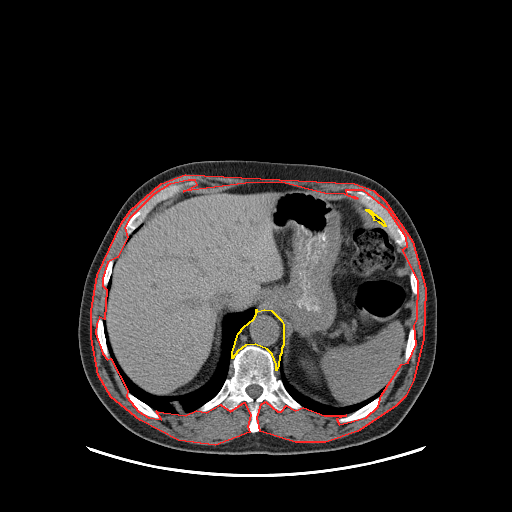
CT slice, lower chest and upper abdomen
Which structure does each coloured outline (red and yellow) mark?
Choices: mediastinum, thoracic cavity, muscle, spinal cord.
red: muscle; yellow: mediastinum.
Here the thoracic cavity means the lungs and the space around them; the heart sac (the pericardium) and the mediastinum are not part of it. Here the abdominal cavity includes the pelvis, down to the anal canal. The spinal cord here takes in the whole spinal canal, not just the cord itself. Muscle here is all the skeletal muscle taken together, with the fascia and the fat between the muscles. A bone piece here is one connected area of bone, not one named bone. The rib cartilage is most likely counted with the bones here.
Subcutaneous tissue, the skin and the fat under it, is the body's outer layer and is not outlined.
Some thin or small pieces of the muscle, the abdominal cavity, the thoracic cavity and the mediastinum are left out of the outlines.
{"muscle":[[[185,174],[354,183],[373,190],[385,201],[412,241],[425,288],[423,338],[413,380],[405,396],[395,406],[357,431],[325,442],[295,442],[260,431],[257,417],[261,404],[265,401],[277,411],[281,411],[286,405],[295,410],[303,407],[324,415],[346,415],[336,419],[339,424],[366,417],[378,406],[381,395],[401,364],[408,362],[416,344],[414,325],[417,319],[418,280],[402,249],[407,246],[406,237],[388,210],[363,190],[345,190],[346,194],[354,196],[357,198],[355,199],[344,194],[324,193],[281,182],[245,183],[183,191],[197,184],[195,180],[188,180],[169,184],[153,194],[129,218],[124,227],[127,237],[117,257],[107,262],[102,278],[102,285],[106,289],[104,319],[99,317],[96,323],[95,333],[102,353],[107,359],[110,358],[127,390],[126,396],[138,411],[148,417],[161,419],[156,411],[185,415],[196,410],[206,412],[220,404],[230,411],[244,402],[250,415],[247,426],[249,432],[215,445],[178,440],[140,420],[111,397],[98,375],[91,337],[91,310],[97,275],[121,223],[130,210],[161,183]]],"mediastinum":[[[256,309],[257,311],[264,309],[271,310],[281,320],[283,324],[283,345],[281,348],[281,353],[279,356],[278,365],[276,370],[276,364],[272,354],[267,349],[255,344],[245,345],[237,351],[232,358],[232,352],[238,333],[244,326],[253,319],[256,314]],[[366,209],[368,209],[369,210],[370,210],[374,214],[375,214],[378,217],[379,217],[383,221],[385,226],[384,226],[381,223],[380,223],[379,222],[374,220],[374,218],[373,217],[373,216],[368,211],[367,211],[366,210]]],"torso":[[[204,160],[258,160],[341,168],[379,182],[404,207],[421,238],[433,275],[437,340],[427,382],[392,431],[360,445],[325,452],[197,453],[165,447],[136,435],[118,422],[99,400],[85,375],[78,345],[82,291],[93,257],[117,212],[142,183],[170,167]]],"spinal_cord":[[[253,384],[255,384],[256,385],[258,385],[259,386],[260,386],[262,388],[262,391],[261,392],[261,393],[257,397],[256,397],[255,398],[254,398],[253,397],[250,396],[247,393],[247,392],[246,391],[246,388],[248,386],[249,386],[250,385],[252,385]]],"thoracic_cavity":[[[250,308],[255,309],[255,314],[237,333],[231,352],[231,375],[224,380],[214,396],[188,413],[172,414],[155,410],[135,396],[125,387],[110,357],[104,323],[111,350],[119,367],[136,386],[154,396],[188,394],[201,388],[214,375],[222,348],[224,317]],[[279,361],[281,361],[282,371],[285,378],[289,384],[298,392],[316,402],[319,402],[321,404],[331,406],[334,408],[343,408],[357,404],[373,396],[383,388],[385,389],[380,395],[350,413],[342,415],[319,413],[304,407],[287,391],[282,380],[276,374]]],"abdominal_cavity":[[[257,183],[357,200],[408,259],[416,319],[408,330],[403,361],[387,386],[373,395],[334,407],[298,391],[280,360],[284,324],[268,308],[250,307],[223,317],[213,375],[188,393],[154,395],[120,367],[104,320],[113,267],[127,238],[157,204],[182,192]]],"bones":[{"outer":[[247,345],[258,346],[271,354],[276,376],[302,406],[295,409],[284,404],[281,410],[277,410],[269,402],[263,401],[256,417],[260,427],[257,432],[248,430],[251,415],[244,401],[230,410],[222,403],[206,411],[198,410],[217,394],[232,375],[232,359]],"hole":[[253,384],[255,384],[256,385],[258,385],[259,386],[260,386],[262,388],[262,391],[261,392],[261,393],[257,397],[256,397],[255,398],[254,398],[253,397],[250,396],[247,393],[247,392],[246,391],[246,388],[248,386],[249,386],[250,385],[252,385]]},[[188,181],[195,181],[196,182],[196,184],[185,187],[182,191],[179,192],[177,194],[175,194],[173,197],[170,197],[157,203],[149,211],[141,223],[128,236],[126,235],[125,233],[125,227],[128,221],[147,200],[148,200],[161,189],[169,185],[184,183]],[[346,190],[352,190],[353,191],[363,191],[376,199],[387,210],[388,213],[396,222],[397,225],[405,237],[405,239],[406,240],[406,246],[404,247],[401,247],[399,246],[395,242],[384,221],[370,209],[360,203],[357,197],[352,194],[348,194],[346,193]],[[379,396],[381,397],[379,403],[377,405],[377,406],[369,414],[368,414],[366,416],[359,419],[356,419],[355,420],[349,421],[348,422],[345,422],[344,423],[339,423],[337,422],[337,419],[341,417],[344,417],[356,411],[358,409],[363,407]],[[127,391],[128,391],[135,397],[136,397],[138,399],[139,399],[141,401],[142,401],[144,403],[148,405],[152,409],[153,409],[161,417],[161,418],[154,418],[153,417],[148,416],[144,414],[139,410],[138,410],[132,404],[129,398],[127,396]],[[99,318],[101,318],[103,320],[103,329],[104,330],[104,334],[105,335],[105,339],[106,340],[106,345],[107,346],[107,349],[109,354],[109,358],[107,358],[104,355],[103,351],[100,346],[98,338],[97,337],[96,331],[97,330],[97,323]],[[414,328],[414,329],[415,330],[415,344],[414,345],[413,350],[412,351],[412,352],[411,353],[407,362],[404,362],[404,352],[405,351],[405,348],[406,347],[406,344],[407,343],[407,339],[408,338],[408,334],[409,333],[409,330],[410,329],[413,329]],[[111,259],[112,259],[114,261],[114,263],[113,264],[113,266],[112,267],[112,270],[111,271],[111,274],[108,279],[108,281],[107,282],[106,287],[105,287],[103,285],[103,278],[104,277],[104,273],[105,272],[106,267],[108,264],[108,262]],[[412,271],[413,272],[414,272],[414,273],[415,274],[415,275],[416,276],[416,279],[417,280],[417,285],[418,286],[418,292],[417,293],[417,294],[414,294],[413,293],[412,293],[412,290],[411,289],[411,285],[410,284],[410,273],[411,273],[412,272]]]}